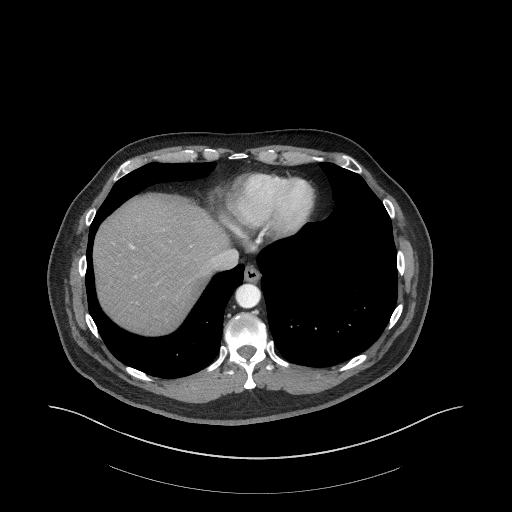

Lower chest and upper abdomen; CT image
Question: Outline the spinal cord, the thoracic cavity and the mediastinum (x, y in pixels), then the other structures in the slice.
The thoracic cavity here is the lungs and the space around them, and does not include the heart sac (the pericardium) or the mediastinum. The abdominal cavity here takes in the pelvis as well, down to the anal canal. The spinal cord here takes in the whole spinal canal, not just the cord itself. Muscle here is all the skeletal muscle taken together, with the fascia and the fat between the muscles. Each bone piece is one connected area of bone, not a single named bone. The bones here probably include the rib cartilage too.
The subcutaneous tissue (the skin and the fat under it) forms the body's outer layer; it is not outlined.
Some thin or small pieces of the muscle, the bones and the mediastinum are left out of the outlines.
Answer: The spinal cord is outlined by [[247,359],[248,359],[254,353],[254,352],[255,351],[255,349],[252,346],[249,346],[248,345],[245,345],[244,346],[242,346],[240,348],[239,348],[238,349],[238,352],[239,353],[239,354],[240,355],[241,355],[242,356],[243,356],[245,358],[246,358]]. The thoracic cavity appears in 2 outlined pieces: piece 1: [[314,367],[345,362],[367,348],[385,328],[397,298],[396,249],[391,222],[381,201],[360,175],[327,161],[319,165],[329,180],[336,203],[331,213],[321,221],[306,224],[294,235],[266,246],[257,256],[269,336],[276,351],[292,363]]; piece 2: [[164,378],[199,371],[217,356],[224,309],[242,281],[243,264],[216,274],[173,333],[143,337],[118,327],[101,310],[93,280],[93,238],[104,218],[132,195],[156,183],[204,177],[213,161],[145,164],[114,183],[89,227],[85,283],[99,333],[120,361]]. The mediastinum appears in 2 outlined pieces: piece 1: [[310,222],[325,218],[335,205],[328,180],[317,162],[275,165],[253,159],[221,158],[214,161],[216,166],[204,178],[172,183],[188,189],[195,189],[204,197],[216,183],[238,168],[252,165],[268,168],[295,168],[306,172],[315,181],[320,191],[319,205]]; piece 2: [[267,325],[265,302],[260,288],[261,273],[256,263],[256,256],[262,248],[269,244],[264,245],[253,254],[246,253],[238,245],[240,253],[239,262],[243,263],[245,266],[243,281],[234,290],[228,301],[224,314],[224,323],[238,312],[249,311],[255,313]]. The abdominal cavity is outlined by [[143,336],[166,335],[177,329],[211,278],[220,271],[235,267],[239,261],[237,243],[205,205],[205,197],[202,198],[195,190],[182,188],[172,182],[150,186],[126,200],[105,218],[98,227],[94,238],[92,260],[98,302],[104,313],[118,326]]. The pericardium is outlined by [[249,253],[256,252],[261,246],[266,243],[273,242],[280,238],[294,234],[312,218],[318,205],[319,191],[314,181],[306,173],[295,169],[268,169],[255,166],[247,167],[238,169],[225,177],[206,195],[206,205],[224,224],[228,230],[228,233],[246,252]]. The bones appear in 14 outlined pieces: piece 1: [[246,389],[255,387],[252,379],[253,368],[267,356],[271,360],[266,368],[270,370],[273,369],[274,362],[285,367],[290,363],[275,351],[267,326],[255,314],[241,312],[224,324],[223,342],[218,356],[204,370],[215,369],[226,358],[245,369]] with a hole at [[247,359],[248,359],[254,353],[254,352],[255,351],[255,349],[252,346],[249,346],[248,345],[245,345],[244,346],[242,346],[240,348],[239,348],[238,349],[238,352],[239,353],[239,354],[240,355],[241,355],[242,356],[243,356],[245,358],[246,358]]; piece 2: [[283,164],[297,164],[298,163],[305,163],[311,161],[317,161],[319,162],[325,160],[321,156],[312,156],[304,153],[293,152],[292,151],[284,151],[278,153],[273,149],[268,149],[258,152],[256,154],[256,159],[266,163],[273,163],[276,160],[279,160]]; piece 3: [[176,162],[185,162],[186,161],[192,162],[196,161],[200,156],[207,161],[216,160],[220,157],[220,154],[216,149],[210,147],[207,147],[200,152],[194,149],[181,149],[173,152],[168,152],[164,154],[154,155],[152,157],[152,160],[175,161]]; piece 4: [[114,182],[115,182],[118,179],[119,179],[130,171],[131,171],[132,170],[143,165],[145,163],[148,162],[149,161],[149,160],[147,158],[137,158],[136,159],[128,159],[127,160],[126,160],[124,162],[123,162],[117,168],[114,175],[112,177],[112,180]]; piece 5: [[359,174],[360,174],[362,172],[362,168],[359,164],[359,163],[351,156],[347,154],[345,154],[343,153],[340,155],[338,155],[336,156],[334,158],[334,162],[336,164],[344,168],[346,168],[349,170],[351,170],[356,173],[358,173]]; piece 6: [[339,371],[342,371],[343,370],[345,370],[346,369],[351,368],[352,367],[353,367],[354,366],[361,363],[367,358],[367,355],[365,353],[361,353],[360,354],[359,354],[358,355],[351,358],[348,361],[347,361],[339,367],[339,368],[338,369],[338,370]]; piece 7: [[147,381],[152,381],[152,378],[150,376],[147,375],[144,372],[142,372],[137,369],[135,369],[129,366],[125,366],[124,369],[129,374],[130,374],[132,376],[134,376],[142,380],[146,380]]; piece 8: [[387,329],[390,329],[395,324],[398,318],[400,316],[401,314],[401,312],[402,311],[402,309],[403,308],[403,304],[402,303],[399,303],[397,304],[397,305],[395,307],[390,317],[389,322],[386,327]]; piece 9: [[99,339],[100,339],[101,338],[98,333],[97,328],[96,327],[96,326],[95,325],[91,316],[89,314],[89,313],[88,312],[86,312],[85,313],[85,319],[86,320],[87,325],[88,326],[89,329],[91,331],[91,332],[97,338],[98,338]]; piece 10: [[398,275],[402,275],[403,274],[403,271],[404,270],[404,266],[405,265],[404,264],[404,255],[403,254],[403,252],[401,250],[400,250],[399,249],[398,250],[397,250],[397,271],[398,272]]; piece 11: [[391,219],[393,219],[395,216],[395,212],[394,211],[394,208],[393,207],[393,205],[392,204],[392,203],[390,201],[390,200],[385,197],[384,198],[383,198],[381,200],[382,201],[382,202],[383,203],[383,204],[384,205],[384,206],[385,207],[385,208]]; piece 12: [[82,277],[84,277],[85,276],[85,271],[86,270],[86,258],[85,257],[85,254],[83,254],[82,255],[81,255],[80,256],[80,257],[79,258],[79,259],[78,260],[78,270],[79,271],[79,273],[80,274],[80,275]]; piece 13: [[86,226],[89,226],[90,225],[90,224],[91,223],[91,222],[92,221],[92,220],[95,215],[95,213],[96,212],[96,208],[95,208],[94,207],[92,207],[91,208],[90,208],[87,211],[87,212],[86,213],[86,215],[85,216],[85,224],[86,225]]; piece 14: [[229,159],[240,159],[241,158],[247,158],[248,157],[248,155],[246,153],[245,153],[244,152],[236,152],[235,153],[233,153],[232,154],[230,154],[228,156],[228,158]]. The torso is outlined by [[214,425],[272,421],[329,407],[387,377],[415,345],[431,292],[431,240],[407,192],[362,146],[346,136],[315,128],[285,128],[184,131],[144,137],[112,154],[74,197],[63,217],[50,252],[46,283],[54,322],[71,365],[100,390],[126,404],[181,421]]. The muscle appears in 5 outlined pieces: piece 1: [[190,403],[203,403],[242,392],[245,390],[243,383],[246,378],[243,368],[226,359],[211,372],[201,370],[173,379],[151,376],[152,382],[142,381],[123,369],[125,365],[108,350],[101,339],[97,339],[90,332],[84,319],[84,313],[88,311],[85,284],[77,270],[77,260],[85,253],[88,234],[84,216],[90,207],[99,207],[113,184],[111,177],[115,170],[81,215],[68,255],[64,289],[70,332],[84,351],[127,382]], around a hole outlined by [[224,374],[225,374],[226,374],[227,374],[228,374],[229,374],[230,374],[231,374],[232,373],[233,372],[233,371],[232,370],[231,369],[230,369],[229,369],[228,370],[227,370],[226,369],[225,370],[224,370],[223,371],[223,372],[223,373]]; piece 2: [[285,394],[319,392],[371,366],[413,317],[418,280],[415,243],[395,199],[362,165],[361,175],[368,185],[380,199],[389,198],[395,208],[396,216],[391,220],[394,241],[396,248],[404,252],[406,265],[404,274],[398,276],[397,303],[404,304],[402,314],[363,352],[368,358],[351,369],[339,372],[343,363],[327,368],[291,363],[285,368],[274,363],[270,371],[265,368],[268,357],[258,363],[253,372],[256,387]]; piece 3: [[332,162],[333,158],[336,155],[342,153],[341,152],[322,151],[312,148],[290,145],[273,144],[246,148],[240,151],[246,152],[249,155],[248,158],[255,159],[255,154],[263,149],[273,148],[278,152],[284,150],[292,150],[312,155],[321,155],[326,160]]; piece 4: [[150,161],[151,161],[151,157],[154,154],[164,153],[168,151],[173,151],[181,148],[194,148],[200,151],[203,148],[207,146],[210,146],[207,145],[186,145],[185,146],[180,146],[179,145],[178,146],[172,146],[157,150],[153,150],[130,158],[147,157]]; piece 5: [[227,158],[227,156],[230,153],[232,153],[233,152],[235,152],[237,151],[235,151],[229,148],[225,148],[224,147],[211,147],[214,147],[216,148],[220,152],[221,154],[221,157],[226,157]].